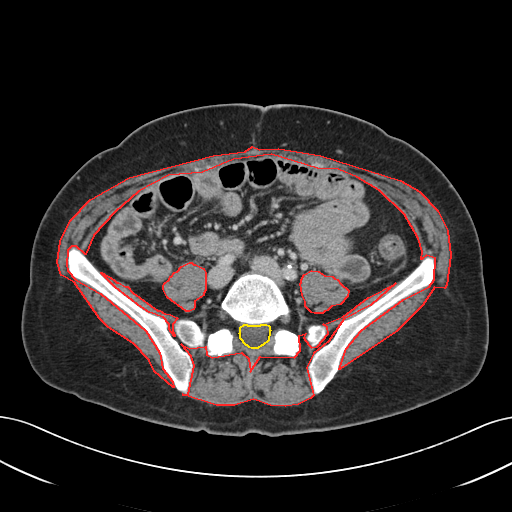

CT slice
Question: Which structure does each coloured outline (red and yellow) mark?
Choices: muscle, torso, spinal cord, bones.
Answer: red: muscle; yellow: spinal cord.
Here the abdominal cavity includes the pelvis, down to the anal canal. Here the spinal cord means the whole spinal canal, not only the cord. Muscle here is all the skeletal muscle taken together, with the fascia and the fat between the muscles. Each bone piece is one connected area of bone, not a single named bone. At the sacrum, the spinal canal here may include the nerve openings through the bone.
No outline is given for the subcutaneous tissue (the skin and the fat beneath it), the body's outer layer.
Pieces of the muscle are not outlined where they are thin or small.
The muscle appears in 5 outlined pieces: piece 1: 252,146 259,149 278,148 320,155 400,180 419,191 437,210 447,230 450,255 446,285 444,288 434,287 422,305 396,331 339,369 346,348 361,330 403,299 429,286 434,279 435,258 426,255 421,259 422,251 418,238 404,214 379,190 357,177 338,169 317,168 271,154 233,159 202,172 168,175 138,191 114,212 93,235 85,254 76,246 71,246 67,250 66,264 67,270 75,279 100,293 145,330 159,352 162,368 172,381 173,387 154,371 149,360 133,343 108,327 99,318 74,282 61,275 57,262 60,241 70,220 90,199 129,177 213,155 245,151; piece 2: 395,283 370,305 343,319 328,341 313,353 306,367 313,395 310,398 298,404 285,406 270,405 253,399 234,405 216,405 182,394 188,394 194,365 191,356 181,344 189,348 205,346 206,354 212,357 241,352 248,358 250,371 260,356 294,357 300,350 299,335 305,333 303,337 308,344 311,347 317,346 328,333 327,327 323,324 343,316 368,297; piece 3: 311,270 318,271 324,275 332,276 334,278 337,279 340,283 348,290 347,296 340,304 331,306 327,310 324,311 322,313 314,313 311,312 305,306 305,301 302,295 300,283 301,282 301,279 304,274; piece 4: 189,262 191,262 193,264 195,264 203,268 205,272 205,290 203,293 203,295 194,301 194,307 193,309 189,311 186,311 167,297 163,289 163,285 164,283 169,279 170,276 171,276 174,272 177,271 181,266; piece 5: 101,272 113,279 116,282 118,282 125,286 127,286 132,292 157,310 159,310 164,313 170,314 176,317 177,318 172,324 172,331 174,334 174,336 169,329 169,324 163,317 149,312 141,307 115,287 101,273. The spinal cord is outlined by 244,324 246,324 247,325 260,325 261,324 266,324 268,325 269,326 269,329 270,330 269,331 268,340 262,345 261,345 257,348 251,348 249,347 247,345 246,345 240,338 240,334 239,333 240,332 240,327. The torso is outlined by 234,102 297,103 341,111 407,141 442,170 468,209 482,253 489,342 484,364 472,382 427,404 366,423 279,436 232,436 132,417 82,400 39,378 23,348 21,311 34,235 55,194 84,162 140,125 191,107. The bones appear in 3 outlined pieces: piece 1: 71,247 163,318 174,337 181,318 205,333 224,329 220,303 233,281 244,272 267,275 291,310 276,323 298,335 299,350 260,355 250,370 241,351 212,356 205,345 181,343 193,365 184,394 146,330 71,274 with a hole at 244,324 246,324 247,325 260,325 261,324 266,324 268,325 269,326 269,329 270,330 269,331 268,340 262,345 261,345 257,348 251,348 249,347 247,345 246,345 240,338 240,334 239,333 240,332 240,327; piece 2: 426,256 432,256 434,258 434,276 429,285 403,298 361,329 345,348 339,362 338,370 333,378 322,391 314,395 311,379 307,371 307,367 314,353 329,341 335,333 338,325 343,320 358,314 381,298 407,276; piece 3: 312,323 313,324 322,324 323,325 324,325 327,329 327,333 326,334 326,336 317,345 316,345 315,346 311,346 305,339 305,338 304,337 306,334 306,332 309,328 309,326 310,325 310,324 311,324. The abdominal cavity is outlined by 264,155 363,181 392,203 415,233 421,251 417,265 343,315 311,322 303,334 280,328 277,320 292,310 278,283 267,274 244,271 219,303 227,325 205,332 192,319 157,309 87,257 102,225 146,187 171,175 with a hole at 311,270 318,271 324,275 332,276 334,278 337,279 340,283 348,290 347,296 340,304 331,306 327,310 324,311 322,313 314,313 311,312 305,306 305,301 302,295 300,283 301,282 301,279 304,274.